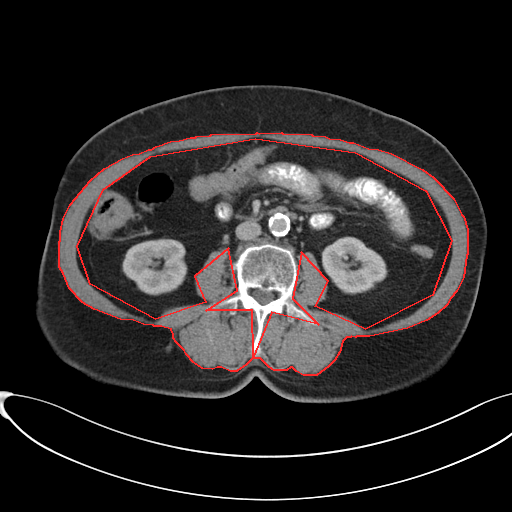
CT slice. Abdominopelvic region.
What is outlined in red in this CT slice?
red: muscle.
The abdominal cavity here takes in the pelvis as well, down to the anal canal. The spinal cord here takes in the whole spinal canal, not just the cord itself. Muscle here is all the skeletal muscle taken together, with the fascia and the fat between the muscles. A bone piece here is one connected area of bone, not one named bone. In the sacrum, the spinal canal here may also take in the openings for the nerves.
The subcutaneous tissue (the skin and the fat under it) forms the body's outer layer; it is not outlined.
Outlines (x, y in pixels):
muscle: 257 132; 259 133; 281 132; 282 133; 311 134; 312 135; 325 136; 329 138; 340 139; 349 142; 353 142; 368 148; 378 149; 391 153; 422 169; 433 177; 453 198; 461 214; 463 216; 467 229; 467 254; 466 255; 463 277; 456 291; 450 298; 446 305; 437 313; 426 320; 407 328; 369 336; 356 336; 355 337; 351 336; 350 337; 346 337; 342 341; 339 352; 334 360; 328 366; 316 375; 303 375; 296 371; 292 367; 290 367; 286 370; 274 370; 269 367; 260 358; 252 358; 246 364; 236 371; 230 371; 221 367; 217 367; 212 369; 202 368; 193 362; 186 354; 184 350; 176 342; 173 338; 173 334; 171 329; 161 326; 154 326; 153 325; 143 324; 133 320; 120 319; 94 309; 82 302; 69 288; 63 273; 59 267; 59 241; 60 240; 60 232; 63 218; 70 204; 90 180; 104 168; 122 158; 132 154; 139 153; 148 149; 151 149; 156 146; 170 141; 179 140; 190 137; 195 137; 196 136; 210 135; 211 134; 256 133 with a hole at 255 138; 355 152; 425 190; 451 240; 432 295; 365 329; 315 306; 328 281; 301 252; 292 298; 318 324; 271 312; 253 356; 252 310; 206 310; 237 290; 228 248; 194 276; 205 302; 155 319; 90 284; 77 246; 103 189; 150 156
spinal cord: 252 289; 259 289; 260 290; 262 290; 263 291; 267 291; 268 292; 273 292; 275 294; 276 297; 274 299; 271 300; 269 302; 268 302; 265 304; 261 304; 260 303; 259 303; 250 294; 250 290; 251 290
torso: 245 84; 317 89; 403 118; 445 144; 470 178; 485 213; 487 247; 466 332; 437 376; 397 393; 343 403; 293 401; 257 377; 224 397; 175 397; 102 384; 64 363; 45 342; 34 317; 35 285; 53 198; 70 158; 94 133; 134 110
abdominal cavity: 255 138; 355 152; 425 190; 451 240; 432 295; 365 329; 315 306; 328 281; 313 253; 299 253; 296 262; 270 242; 245 247; 234 261; 228 248; 211 251; 193 281; 205 302; 166 308; 155 319; 90 284; 77 246; 103 189; 150 156
bones: 265 243; 291 252; 297 265; 293 302; 318 324; 295 316; 289 321; 284 311; 271 312; 263 322; 261 352; 253 356; 255 313; 240 303; 235 314; 229 312; 229 304; 206 308; 236 292; 238 281; 231 265; 240 253; 249 246; inner edge: 252 289; 259 289; 260 290; 262 290; 263 291; 267 291; 268 292; 273 292; 275 294; 276 297; 274 299; 271 300; 269 302; 268 302; 265 304; 261 304; 260 303; 259 303; 250 294; 250 290; 251 290